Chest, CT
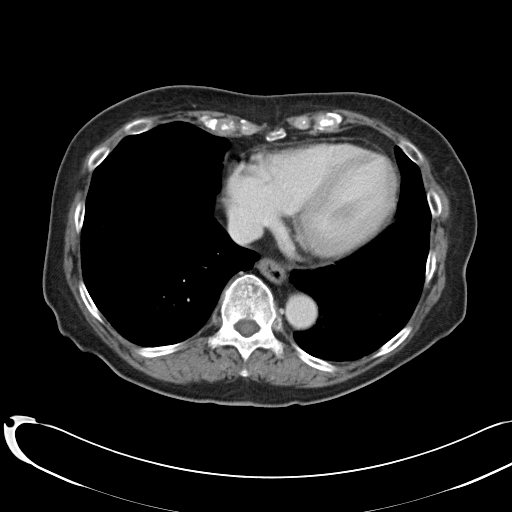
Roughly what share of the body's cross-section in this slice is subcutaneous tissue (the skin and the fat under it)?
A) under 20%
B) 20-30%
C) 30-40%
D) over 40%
B) 20-30%
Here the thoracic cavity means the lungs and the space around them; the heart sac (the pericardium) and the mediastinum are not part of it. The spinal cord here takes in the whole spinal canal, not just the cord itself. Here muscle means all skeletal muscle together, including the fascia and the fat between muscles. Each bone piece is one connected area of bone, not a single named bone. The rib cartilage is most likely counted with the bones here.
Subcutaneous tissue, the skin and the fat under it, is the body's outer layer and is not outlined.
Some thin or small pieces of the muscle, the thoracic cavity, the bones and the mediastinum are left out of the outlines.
The mediastinum appears in 3 outlined pieces: piece 1: 266 236; 271 247; 286 262; 300 268; 316 268; 295 268; 289 275; 290 282; 318 305; 319 317; 309 329; 294 331; 291 335; 285 330; 272 291; 257 275; 243 272; 227 285; 235 274; 251 269; 259 258; 256 251; 235 242; 249 245; piece 2: 347 124; 369 126; 387 136; 394 144; 396 163; 387 149; 367 137; 357 135; 310 137; 273 145; 263 143; 242 152; 228 164; 221 189; 222 162; 230 146; 228 139; 222 136; 259 134; 266 141; 271 142; 283 139; 290 129; 335 132; piece 3: 220 190; 220 192; 219 193; 219 196; 217 199; 217 202; 218 203; 218 207; 219 209; 221 210; 221 212; 223 214; 226 220; 226 230; 218 222; 218 221; 214 217; 213 215; 213 212; 214 211; 214 207; 215 206; 215 200; 216 199; 216 196; 217 194; 218 193; 220 191. The bones appear in 14 outlined pieces: piece 1: 243 273; 257 276; 272 293; 277 313; 288 337; 280 332; 275 333; 284 344; 281 358; 277 357; 270 349; 258 347; 244 362; 238 350; 232 345; 209 347; 206 339; 216 330; 219 323; 195 335; 209 321; 213 312; 218 310; 223 289, around a hole outlined by 243 319; 247 319; 248 320; 252 320; 253 321; 254 321; 254 322; 258 326; 258 329; 255 332; 254 332; 252 334; 251 334; 249 336; 244 336; 243 335; 242 335; 235 328; 235 324; 237 322; 238 322; 240 320; 242 320; piece 2: 201 115; 207 115; 210 117; 213 117; 218 119; 221 119; 225 117; 230 117; 236 122; 241 118; 244 118; 254 123; 257 126; 258 130; 256 133; 250 135; 242 135; 237 130; 229 135; 219 135; 214 133; 204 126; 198 119; 198 117; piece 3: 326 112; 334 112; 340 114; 342 116; 342 121; 339 126; 339 129; 338 130; 335 131; 315 131; 313 130; 312 128; 304 130; 303 129; 294 128; 292 125; 292 122; 294 119; 298 116; 307 116; 312 119; 315 115; 325 113; piece 4: 290 339; 292 339; 300 348; 301 348; 310 355; 314 357; 325 360; 331 363; 333 365; 336 366; 337 367; 337 369; 335 371; 329 372; 328 371; 324 371; 323 370; 315 368; 307 364; 299 358; 297 355; 296 351; 292 347; 290 343; piece 5: 185 340; 186 340; 185 342; 180 349; 174 352; 168 353; 167 354; 164 354; 163 355; 159 355; 158 356; 154 356; 153 357; 146 357; 138 354; 135 350; 136 348; 138 347; 156 347; 157 346; 170 345; 171 344; 178 343; piece 6: 407 324; 410 325; 412 328; 411 329; 410 332; 408 334; 408 335; 396 347; 395 347; 392 350; 391 350; 382 355; 380 355; 377 357; 374 357; 373 358; 372 357; 372 355; 374 352; 375 352; 382 345; 383 345; 391 338; 392 338; piece 7: 80 280; 82 280; 83 281; 85 285; 85 287; 90 297; 92 299; 96 307; 100 312; 102 316; 102 318; 103 319; 103 322; 100 322; 95 317; 94 317; 91 314; 91 313; 86 307; 80 295; 80 293; 78 289; 78 284; piece 8: 140 118; 144 118; 145 119; 150 119; 152 121; 152 123; 154 126; 150 129; 149 129; 144 132; 142 132; 141 133; 138 133; 137 134; 127 134; 124 131; 124 130; 123 129; 124 126; 126 124; 127 124; 136 119; 139 119; piece 9: 401 140; 405 140; 406 141; 408 141; 412 143; 419 150; 419 151; 421 153; 423 157; 423 160; 420 164; 418 165; 411 159; 410 159; 410 158; 408 157; 407 155; 406 155; 406 154; 402 150; 402 149; 397 144; piece 10: 101 146; 107 146; 110 149; 110 151; 109 152; 109 153; 105 157; 105 158; 92 171; 90 171; 88 169; 88 167; 87 166; 87 162; 88 161; 88 159; 90 157; 90 156; 91 155; 91 154; 96 149; 97 149; 99 147; 100 147; piece 11: 430 189; 432 189; 434 190; 438 194; 440 198; 440 201; 441 202; 441 211; 440 212; 440 214; 437 217; 435 217; 434 218; 432 218; 431 216; 431 212; 430 211; 430 208; 429 207; 429 205; 427 201; 427 196; 426 195; 426 192; piece 12: 430 249; 433 250; 435 252; 435 256; 436 257; 436 266; 435 267; 434 272; 432 275; 432 277; 430 279; 428 283; 425 286; 424 285; 424 279; 425 278; 425 267; 426 266; 426 261; 427 260; 427 256; 428 255; 428 253; piece 13: 80 201; 84 202; 85 204; 85 210; 84 211; 84 216; 83 217; 83 223; 81 227; 81 230; 80 231; 80 233; 77 233; 76 231; 76 228; 75 227; 75 221; 74 220; 74 213; 75 212; 75 208; 76 207; 76 205; 77 203; piece 14: 279 127; 283 127; 285 129; 285 130; 286 131; 286 135; 283 138; 280 138; 279 139; 276 139; 275 140; 272 140; 271 141; 268 141; 265 139; 265 138; 264 137; 264 135; 268 131; 269 131; 270 130; 273 130; 274 129; 276 129. The thoracic cavity appears in 2 outlined pieces: piece 1: 172 121; 189 122; 227 139; 229 146; 221 162; 220 189; 212 215; 236 244; 256 252; 258 258; 251 268; 238 271; 229 279; 217 310; 195 334; 170 344; 140 346; 123 337; 102 315; 83 280; 80 249; 85 201; 93 171; 125 136; piece 2: 395 144; 419 167; 431 217; 423 286; 406 324; 375 351; 354 360; 328 361; 310 354; 290 336; 294 332; 309 330; 320 317; 318 303; 307 292; 297 288; 291 282; 290 275; 295 269; 313 270; 349 256; 396 220; 401 176; 394 152. The muscle appears in 2 outlined pieces: piece 1: 190 110; 234 114; 241 117; 237 121; 230 116; 218 118; 201 114; 197 119; 210 132; 185 120; 154 125; 150 118; 144 117; 136 118; 123 126; 126 135; 111 150; 101 145; 87 159; 87 169; 92 173; 85 200; 75 205; 73 220; 75 231; 80 234; 82 279; 77 289; 90 314; 100 323; 104 322; 103 316; 123 338; 139 346; 135 352; 146 358; 174 353; 187 339; 218 324; 206 337; 206 345; 211 349; 232 346; 244 363; 258 348; 270 350; 281 359; 285 344; 276 333; 285 338; 289 336; 298 358; 324 372; 338 369; 330 362; 354 361; 370 354; 373 359; 382 356; 411 332; 413 328; 407 323; 437 266; 436 252; 430 248; 430 230; 431 220; 441 214; 442 202; 434 189; 425 189; 419 166; 424 160; 422 153; 449 200; 445 285; 417 332; 399 351; 354 377; 321 387; 297 388; 255 381; 246 377; 249 372; 245 367; 233 381; 178 384; 136 369; 96 334; 79 308; 63 268; 68 212; 80 182; 82 163; 95 146; 132 119; piece 2: 335 108; 361 113; 382 121; 392 129; 405 136; 410 141; 401 139; 396 144; 387 135; 369 125; 347 123; 340 127; 343 121; 343 116; 340 113; 334 111; 318 113; 312 118; 307 115; 298 115; 291 122; 293 128; 290 128; 287 131; 283 126; 279 126; 268 130; 263 135; 257 133; 259 130; 258 126; 249 120; 258 122; 265 121; 270 124; 276 124; 285 117; 298 115; 308 111; 332 110. The spinal cord is outlined by 243 319; 247 319; 248 320; 252 320; 253 321; 254 321; 254 322; 258 326; 258 329; 255 332; 254 332; 252 334; 251 334; 249 336; 244 336; 243 335; 242 335; 235 328; 235 324; 237 322; 238 322; 240 320; 242 320. The pericardium is outlined by 341 136; 367 138; 387 150; 397 166; 399 172; 397 205; 390 223; 383 230; 349 255; 317 267; 300 267; 286 261; 272 247; 268 235; 249 244; 239 243; 228 235; 227 220; 219 207; 218 199; 230 163; 258 145; 273 146; 296 140. The torso is outlined by 178 84; 260 95; 371 93; 403 105; 437 128; 469 176; 477 214; 461 323; 413 359; 365 386; 329 400; 281 407; 199 403; 162 395; 125 380; 63 336; 43 297; 42 271; 52 191; 64 152; 75 133; 103 109; 136 93.